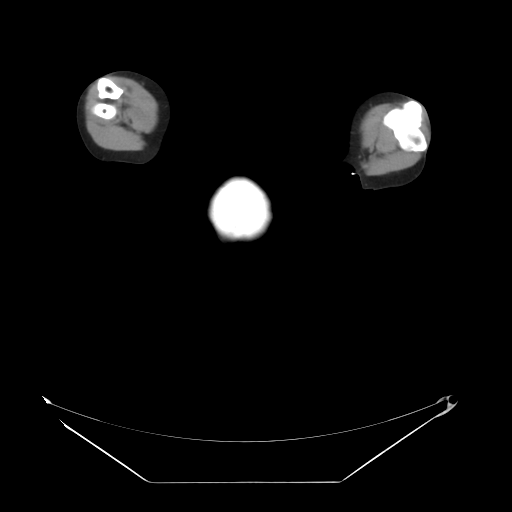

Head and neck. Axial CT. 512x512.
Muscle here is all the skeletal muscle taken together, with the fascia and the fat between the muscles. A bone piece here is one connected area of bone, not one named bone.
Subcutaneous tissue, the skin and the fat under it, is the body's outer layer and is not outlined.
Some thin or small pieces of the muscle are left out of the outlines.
{"bones":[[[232,176],[246,176],[252,179],[266,192],[270,200],[270,203],[271,204],[271,213],[272,214],[271,220],[267,226],[266,229],[261,234],[251,239],[230,239],[227,237],[220,235],[214,229],[208,217],[208,206],[209,205],[210,198],[216,189],[225,180]],[[409,100],[415,100],[417,101],[421,104],[423,108],[422,120],[421,121],[420,129],[423,133],[428,144],[427,148],[424,151],[406,151],[402,149],[400,147],[397,139],[394,136],[393,131],[383,123],[383,117],[390,109],[395,107],[400,108],[406,101]],[[103,76],[106,76],[110,78],[119,87],[123,89],[122,94],[117,99],[110,100],[109,101],[112,103],[116,108],[116,114],[115,116],[111,119],[102,118],[95,115],[92,113],[91,111],[92,106],[101,100],[98,97],[97,83],[96,82],[98,78]]],"left_arm":[[[380,91],[400,92],[409,95],[421,102],[425,106],[431,121],[432,138],[423,171],[415,180],[400,187],[379,190],[362,189],[358,176],[351,174],[351,169],[347,165],[340,163],[340,161],[347,150],[346,139],[348,121],[353,109],[361,100],[371,94]]],"right_arm":[[[120,69],[133,70],[144,74],[155,80],[164,89],[170,101],[171,119],[162,148],[159,153],[151,161],[147,163],[133,164],[124,162],[104,162],[98,160],[92,156],[86,149],[77,129],[75,118],[75,110],[77,100],[82,90],[92,80],[107,72]]],"head_and_neck":[[[234,174],[243,174],[249,176],[255,180],[267,192],[272,202],[272,208],[274,213],[274,220],[269,233],[262,239],[251,244],[236,244],[232,246],[226,246],[218,243],[218,242],[214,239],[210,228],[206,225],[205,207],[208,198],[214,189],[223,180]]],"muscle":[[[109,75],[128,77],[142,83],[158,103],[158,124],[147,136],[148,144],[143,150],[102,149],[93,142],[86,130],[85,97],[94,83],[100,100],[91,106],[91,113],[105,120],[111,120],[117,114],[116,106],[110,101],[117,100],[124,89],[107,76]],[[401,99],[408,100],[406,100],[400,107],[395,106],[390,108],[383,115],[382,123],[392,131],[393,136],[402,150],[406,152],[422,152],[422,155],[414,165],[406,169],[386,176],[366,176],[360,166],[358,157],[360,152],[358,132],[360,120],[372,105]]]}